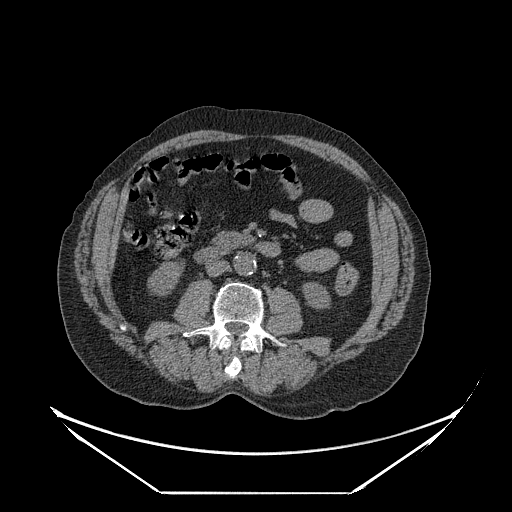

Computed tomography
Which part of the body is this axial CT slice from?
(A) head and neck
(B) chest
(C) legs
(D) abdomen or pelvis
Answer: (D) abdomen or pelvis
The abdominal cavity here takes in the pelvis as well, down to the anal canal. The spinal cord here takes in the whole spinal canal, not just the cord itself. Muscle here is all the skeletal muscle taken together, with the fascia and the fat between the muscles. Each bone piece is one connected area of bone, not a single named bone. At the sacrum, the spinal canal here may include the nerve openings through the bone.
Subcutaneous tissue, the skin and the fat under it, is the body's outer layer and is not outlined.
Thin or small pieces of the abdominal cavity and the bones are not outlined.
Outlines:
spinal cord: 231,322 238,322 239,323 243,323 244,324 246,324 248,326 248,328 245,331 244,331 243,332 240,333 238,335 235,336 231,332 230,332 226,328 226,327 225,326 225,325 227,323 230,323
muscle: 200,129 214,129 215,130 221,130 226,132 238,133 239,134 244,134 245,133 247,134 256,134 257,133 263,133 264,134 294,134 295,135 304,136 322,142 329,143 342,150 357,161 368,174 389,195 398,205 412,234 412,241 414,247 414,277 413,278 413,287 411,291 409,306 404,313 403,317 400,320 399,323 384,336 359,355 353,359 350,359 340,366 319,377 315,381 311,382 299,390 293,391 290,393 275,394 270,396 262,396 253,393 239,382 233,381 232,382 226,382 223,386 218,389 212,392 206,393 205,392 198,392 195,390 183,388 175,383 168,381 164,377 160,376 153,370 149,369 138,360 129,355 109,337 109,335 105,329 83,299 81,291 78,286 76,273 75,272 75,266 74,265 74,250 77,244 77,238 81,228 81,223 84,217 85,212 93,199 96,196 98,191 129,165 137,160 146,151 154,146 178,135, around holes outlined by 248,138 269,138 300,148 360,179 367,190 370,307 356,331 332,349 327,336 289,337 303,325 300,303 283,287 266,287 261,325 286,346 264,338 260,353 238,351 241,369 230,378 224,368 233,357 231,348 212,350 207,335 182,335 214,321 215,286 209,279 188,284 172,313 175,322 154,320 140,333 120,312 111,278 122,217 138,168 163,153 and by 121,323 122,323 123,324 124,324 125,325 126,326 127,327 127,328 127,329 126,330 125,330 124,331 123,331 122,330 121,330 120,329 120,328 119,327 119,326 119,325 120,324
torso: 202,105 301,113 326,123 357,141 404,193 425,233 431,283 419,348 402,376 382,395 309,419 271,414 235,394 201,408 178,410 111,391 74,353 60,313 56,271 61,236 75,207 95,177 125,148 167,118
bones: 231,281 246,282 261,289 264,302 261,325 286,344 279,346 264,338 260,353 238,351 241,369 235,378 230,378 224,371 234,354 231,348 212,350 207,335 182,335 185,331 213,323 211,307 215,294 222,285 with a hole at 231,322 238,322 239,323 243,323 244,324 246,324 248,326 248,328 245,331 244,331 243,332 240,333 238,335 235,336 231,332 230,332 226,328 226,327 225,326 225,325 227,323 230,323
abdominal cavity: 248,138 310,152 367,190 370,307 334,349 327,336 289,337 303,318 298,299 280,286 266,287 264,301 246,281 227,281 215,293 209,279 191,281 175,322 154,320 141,333 116,304 111,278 138,168 163,153